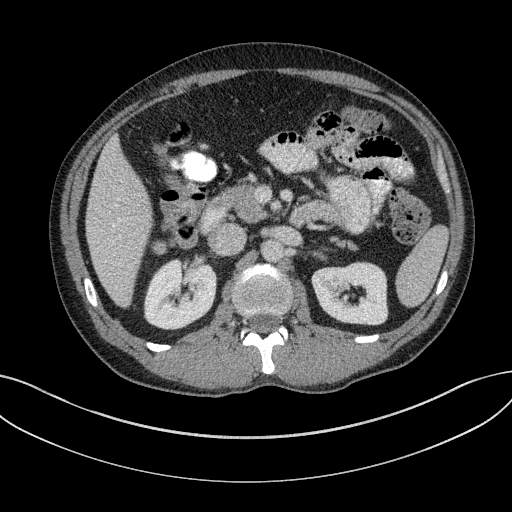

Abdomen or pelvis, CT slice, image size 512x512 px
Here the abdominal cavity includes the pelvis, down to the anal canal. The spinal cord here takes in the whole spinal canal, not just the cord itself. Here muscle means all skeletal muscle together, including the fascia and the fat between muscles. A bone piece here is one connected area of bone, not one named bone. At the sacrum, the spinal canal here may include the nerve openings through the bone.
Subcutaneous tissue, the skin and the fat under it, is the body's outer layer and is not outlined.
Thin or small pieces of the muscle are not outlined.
Outlined structures:
bones 1: (266, 374) (274, 371) (271, 349) (287, 340) (287, 328) (281, 323) (275, 331) (260, 335) (247, 326) (247, 320) (256, 313) (271, 313) (281, 321) (293, 294) (284, 273) (270, 264) (256, 263) (238, 274) (232, 302) (245, 325) (240, 331) (242, 344) (257, 347) (261, 371)
bones 2: (446, 194) (449, 193) (451, 189) (450, 188) (450, 184) (447, 177) (447, 173) (445, 170) (445, 165) (443, 161) (443, 158) (440, 152) (439, 152) (438, 153) (438, 158) (437, 159) (437, 175) (438, 176) (438, 179) (440, 182) (440, 184) (442, 187) (442, 189)
bones 3: (94, 307) (96, 307) (98, 305) (97, 303) (97, 300) (96, 299) (96, 292) (95, 291) (94, 286) (91, 281) (91, 279) (89, 277) (89, 276) (87, 275) (85, 276) (83, 279) (83, 283) (84, 284) (84, 287) (85, 288) (85, 293) (86, 294) (88, 301)
bones 4: (434, 295) (437, 295) (439, 294) (442, 291) (442, 290) (444, 288) (446, 284) (446, 282) (448, 278) (448, 273) (447, 272) (447, 270) (444, 268) (442, 270) (442, 272) (438, 280) (438, 282) (437, 283) (437, 285) (436, 286) (436, 288) (434, 292)
bones 5: (358, 343) (364, 343) (365, 342) (372, 342) (373, 341) (375, 341) (376, 340) (377, 340) (379, 338) (379, 334) (378, 333) (376, 333) (375, 334) (370, 334) (369, 335) (357, 335) (355, 337) (354, 337) (354, 338) (353, 339) (354, 340) (354, 341) (355, 341)
bones 6: (153, 351) (163, 351) (164, 350) (166, 350) (167, 349) (169, 349) (171, 347) (171, 346) (169, 344) (162, 344) (161, 343) (155, 343) (154, 342) (151, 342) (150, 341) (146, 341) (146, 342) (145, 343) (145, 344) (146, 345) (146, 346) (149, 349) (150, 349)
muscle: (207, 389) (242, 387) (259, 375) (268, 375) (260, 371) (261, 360) (256, 347) (241, 344) (239, 331) (244, 325) (231, 302) (235, 276) (224, 283) (222, 299) (212, 320) (163, 352) (149, 350) (144, 344) (146, 340) (131, 334) (112, 318) (97, 294) (99, 305) (96, 308) (86, 299) (82, 279) (89, 274) (77, 237) (77, 217) (89, 168) (103, 142) (114, 129) (146, 107) (196, 85) (246, 72) (275, 71) (306, 76) (379, 99) (403, 113) (422, 134) (436, 172) (437, 153) (441, 152) (452, 190) (447, 195) (443, 192) (449, 211) (451, 240) (444, 265) (449, 278) (439, 295) (433, 294) (397, 328) (380, 333) (377, 341) (358, 344) (352, 339) (359, 334) (315, 324) (309, 314) (305, 287) (300, 280) (289, 278) (294, 298) (281, 322) (288, 328) (289, 338) (282, 346) (273, 347) (276, 368) (270, 375) (293, 385) (332, 383) (379, 363) (424, 332) (439, 315) (456, 275) (463, 248) (465, 216) (455, 164) (439, 131) (411, 103) (361, 77) (334, 70) (293, 67) (211, 70) (165, 83) (128, 105) (105, 122) (82, 147) (65, 181) (60, 230) (69, 270) (95, 328) (102, 338) (152, 373)
torso: (208, 397) (266, 385) (332, 393) (397, 369) (441, 333) (463, 295) (473, 260) (475, 216) (461, 156) (447, 130) (415, 94) (363, 61) (319, 46) (278, 41) (237, 42) (192, 53) (116, 97) (59, 166) (49, 207) (49, 249) (59, 297) (76, 331) (119, 376) (154, 389)
abdominal cavity: (170, 344) (207, 324) (225, 280) (256, 262) (270, 263) (301, 280) (315, 323) (379, 333) (415, 312) (434, 291) (450, 231) (429, 149) (411, 122) (391, 106) (343, 87) (296, 75) (252, 72) (160, 101) (114, 130) (92, 163) (82, 197) (82, 254) (108, 313) (131, 333)
spinal cord: (260, 334) (266, 334) (273, 330) (275, 330) (277, 328) (277, 327) (280, 323) (279, 321) (279, 317) (278, 316) (275, 316) (271, 314) (256, 314) (255, 315) (253, 315) (251, 316) (248, 320) (248, 326) (249, 326) (252, 330)